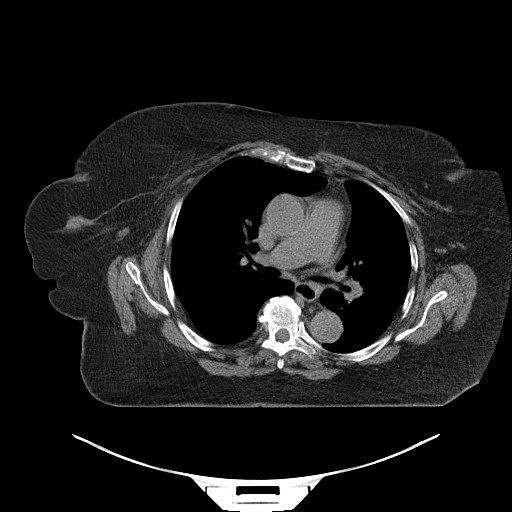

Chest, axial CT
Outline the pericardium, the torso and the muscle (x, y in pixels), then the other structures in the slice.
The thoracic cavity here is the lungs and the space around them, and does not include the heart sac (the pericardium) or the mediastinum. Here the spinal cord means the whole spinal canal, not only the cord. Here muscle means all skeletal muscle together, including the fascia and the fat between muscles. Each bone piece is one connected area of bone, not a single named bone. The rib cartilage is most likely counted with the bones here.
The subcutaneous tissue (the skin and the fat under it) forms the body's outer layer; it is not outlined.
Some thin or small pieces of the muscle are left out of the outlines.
The pericardium is outlined by (284, 194) (302, 199) (306, 198) (324, 199) (325, 198) (334, 200) (342, 206) (344, 220) (342, 224) (343, 230) (340, 233) (340, 250) (338, 254) (332, 260) (324, 263) (320, 267) (299, 270) (284, 268) (276, 261) (270, 251) (270, 225) (268, 221) (267, 209) (274, 199). The torso is outlined by (182, 101) (420, 126) (451, 140) (468, 166) (496, 171) (507, 208) (511, 273) (501, 327) (477, 383) (434, 407) (119, 407) (94, 398) (79, 371) (83, 324) (51, 305) (48, 291) (56, 283) (33, 271) (25, 214) (43, 187) (72, 174) (80, 152) (103, 128) (132, 111). The muscle is outlined by (258, 140) (282, 144) (299, 155) (266, 146) (241, 150) (208, 171) (185, 198) (176, 200) (170, 212) (165, 234) (165, 244) (171, 244) (170, 267) (169, 270) (162, 265) (162, 279) (172, 309) (177, 308) (177, 299) (187, 317) (188, 324) (180, 318) (175, 322) (192, 345) (204, 352) (214, 352) (216, 345) (242, 342) (257, 332) (255, 343) (278, 356) (279, 370) (284, 366) (283, 357) (292, 350) (310, 359) (316, 354) (331, 354) (336, 359) (356, 363) (370, 358) (389, 342) (393, 333) (384, 333) (400, 311) (401, 320) (408, 314) (416, 292) (414, 284) (408, 287) (410, 274) (416, 273) (419, 267) (417, 246) (413, 239) (408, 240) (405, 227) (412, 224) (410, 216) (387, 190) (372, 180) (316, 168) (316, 162) (305, 157) (318, 150) (367, 166) (420, 206) (422, 210) (418, 208) (414, 218) (422, 233) (427, 265) (434, 276) (443, 267) (459, 262) (473, 269) (477, 291) (461, 327) (456, 330) (444, 327) (426, 343) (404, 348) (388, 361) (319, 380) (281, 370) (242, 377) (213, 375) (165, 340) (125, 334) (107, 286) (110, 262) (120, 254) (127, 256) (141, 251) (178, 176) (234, 144), around holes outlined by (129, 261) (134, 263) (138, 267) (140, 271) (140, 278) (142, 282) (144, 284) (148, 294) (158, 303) (163, 305) (169, 311) (169, 315) (165, 315) (156, 308) (155, 308) (145, 297) (141, 288) (133, 281) (133, 280) (127, 272) (126, 268) (125, 267) (126, 263) and by (441, 290) (445, 290) (447, 292) (447, 295) (443, 299) (437, 302) (434, 302) (429, 307) (426, 314) (426, 317) (422, 325) (414, 331) (406, 335) (402, 339) (398, 341) (395, 341) (394, 340) (395, 335) (406, 329) (411, 328) (420, 321) (425, 307) (430, 298) (434, 294). The bones appear in 10 outlined pieces: piece 1: (282, 295) (293, 299) (309, 335) (330, 352) (350, 353) (389, 332) (392, 337) (376, 353) (356, 362) (336, 358) (331, 353) (316, 353) (310, 358) (292, 349) (282, 357) (283, 366) (279, 369) (279, 356) (256, 343) (256, 338) (260, 326) (258, 315) (265, 302); inner edge: (281, 329) (285, 329) (287, 331) (287, 332) (288, 333) (288, 338) (286, 340) (284, 340) (283, 341) (280, 341) (279, 340) (278, 340) (277, 339) (277, 338) (276, 337) (276, 333) (279, 330) (280, 330); piece 2: (257, 147) (266, 147) (274, 150) (276, 149) (281, 149) (296, 156) (301, 156) (308, 159) (312, 159) (316, 164) (315, 169) (311, 172) (305, 172) (304, 171) (292, 169) (285, 165) (281, 165) (260, 157) (249, 156) (248, 155) (238, 155) (238, 153) (241, 151) (245, 151); piece 3: (177, 319) (180, 319) (183, 322) (184, 322) (187, 325) (188, 325) (196, 333) (197, 333) (202, 337) (205, 338) (207, 340) (214, 343) (215, 344) (215, 350) (214, 351) (204, 351) (192, 344) (185, 337) (185, 336) (182, 333) (182, 332) (178, 327) (177, 323) (176, 322); piece 4: (129, 261) (134, 263) (138, 267) (140, 271) (140, 278) (142, 282) (144, 284) (148, 294) (158, 303) (163, 305) (169, 311) (169, 315) (165, 315) (156, 308) (155, 308) (145, 297) (141, 288) (133, 281) (133, 280) (127, 272) (126, 268) (125, 267) (126, 263); piece 5: (441, 290) (445, 290) (447, 292) (447, 295) (443, 299) (437, 302) (434, 302) (429, 307) (426, 314) (426, 317) (422, 325) (414, 331) (406, 335) (402, 339) (398, 341) (395, 341) (394, 340) (395, 335) (406, 329) (411, 328) (420, 321) (425, 307) (430, 298) (434, 294); piece 6: (361, 177) (366, 178) (372, 181) (375, 184) (387, 191) (394, 198) (394, 199) (398, 202) (398, 203) (409, 216) (410, 220) (411, 221) (411, 224) (409, 225) (408, 224) (404, 223) (399, 214) (392, 206) (392, 205) (386, 199) (386, 198) (384, 197) (373, 187) (361, 180); piece 7: (181, 197) (183, 197) (184, 199) (181, 205) (181, 207) (176, 220) (176, 223) (175, 224) (175, 227) (173, 232) (173, 236) (171, 239) (171, 243) (169, 245) (167, 245) (166, 244) (166, 234) (167, 233) (168, 222) (171, 215) (172, 209) (175, 203) (177, 200); piece 8: (164, 264) (169, 271) (171, 282) (172, 283) (173, 289) (174, 290) (174, 293) (176, 297) (175, 299) (175, 305) (176, 306) (176, 308) (175, 309) (173, 309) (169, 301) (169, 299) (166, 293) (165, 286) (164, 285) (164, 280) (163, 279) (163, 270) (162, 269) (162, 267); piece 9: (412, 285) (414, 285) (415, 286) (415, 292) (413, 296) (413, 300) (407, 312) (407, 314) (403, 319) (401, 319) (400, 318) (400, 316) (401, 315) (401, 307) (405, 299) (405, 297) (408, 291) (408, 289); piece 10: (409, 240) (413, 240) (413, 241) (414, 242) (414, 243) (415, 244) (415, 245) (416, 246) (416, 249) (417, 250) (417, 257) (418, 258) (418, 267) (417, 268) (417, 271) (416, 272) (414, 272) (412, 270) (412, 267) (411, 266) (411, 256) (410, 255) (410, 249) (409, 248). The mediastinum is outlined by (319, 168) (347, 177) (343, 185) (351, 205) (345, 249) (335, 266) (336, 287) (320, 295) (339, 316) (343, 332) (335, 341) (322, 343) (306, 329) (302, 310) (290, 296) (292, 283) (260, 262) (256, 240) (262, 212) (275, 196) (309, 196) (326, 185) (327, 179) (315, 170); inner edge: (284, 194) (302, 199) (306, 198) (324, 199) (325, 198) (334, 200) (342, 206) (344, 220) (342, 224) (343, 230) (340, 233) (340, 250) (338, 254) (332, 260) (324, 263) (320, 267) (299, 270) (284, 268) (276, 261) (270, 251) (270, 225) (268, 221) (267, 209) (274, 199). The spinal cord is outlined by (281, 329) (285, 329) (287, 331) (287, 332) (288, 333) (288, 338) (286, 340) (284, 340) (283, 341) (280, 341) (279, 340) (278, 340) (277, 339) (277, 338) (276, 337) (276, 333) (279, 330) (280, 330). The thoracic cavity appears in 2 outlined pieces: piece 1: (234, 156) (260, 158) (305, 173) (315, 171) (326, 183) (309, 195) (281, 192) (262, 210) (255, 240) (258, 260) (275, 270) (278, 278) (290, 282) (292, 291) (264, 302) (252, 336) (216, 344) (189, 325) (176, 296) (170, 273) (172, 239) (186, 197) (208, 172); piece 2: (348, 178) (373, 188) (398, 214) (405, 228) (411, 270) (400, 310) (382, 336) (354, 351) (333, 352) (321, 344) (335, 342) (344, 332) (344, 325) (340, 316) (321, 301) (321, 295) (326, 289) (337, 287) (339, 273) (336, 266) (347, 245) (352, 219) (352, 205) (344, 185).